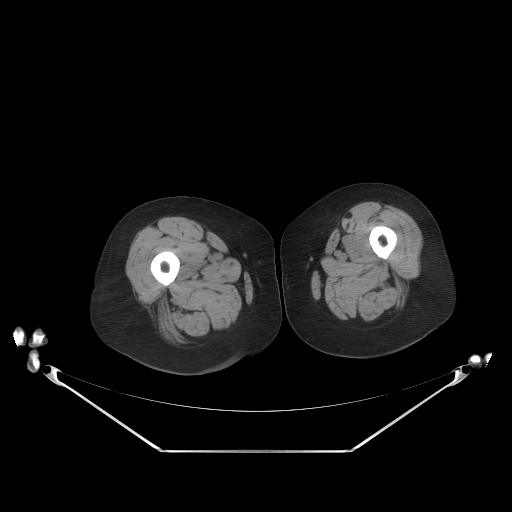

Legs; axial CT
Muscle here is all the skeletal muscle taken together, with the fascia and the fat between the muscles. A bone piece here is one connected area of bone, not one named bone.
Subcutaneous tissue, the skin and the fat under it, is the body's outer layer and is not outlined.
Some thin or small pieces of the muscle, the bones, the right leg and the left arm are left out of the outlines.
The left leg is outlined by [[357,182],[393,184],[409,191],[426,205],[440,226],[455,275],[457,288],[455,309],[443,325],[421,340],[398,352],[371,359],[347,358],[327,354],[311,347],[300,339],[288,322],[281,283],[279,246],[281,235],[286,226],[297,215],[324,195],[339,187]]. The bones appear in 4 outlined pieces: piece 1: [[164,250],[169,250],[170,251],[172,251],[178,257],[179,259],[179,261],[180,262],[180,265],[179,266],[179,270],[178,271],[178,273],[176,277],[172,282],[171,282],[168,285],[166,286],[160,283],[153,276],[150,270],[150,263],[153,257],[156,254]]; piece 2: [[377,225],[384,225],[385,226],[387,226],[391,228],[395,232],[396,234],[396,236],[397,237],[397,241],[396,242],[395,247],[386,259],[384,259],[383,258],[381,258],[379,257],[373,251],[369,243],[369,234],[370,233],[370,231],[374,226],[376,226]]; piece 3: [[16,328],[20,328],[21,329],[22,329],[24,332],[24,337],[23,338],[23,343],[22,344],[21,344],[20,345],[18,345],[17,346],[14,342],[14,341],[12,338],[12,336],[11,335],[12,335],[13,334],[13,332]]; piece 4: [[34,331],[39,331],[40,332],[42,332],[44,334],[44,337],[43,338],[43,339],[42,340],[42,342],[39,345],[34,345],[32,343],[32,334],[33,333],[33,332]]. The right leg is outlined by [[178,195],[211,199],[259,221],[273,238],[276,276],[279,287],[281,284],[280,300],[283,302],[281,325],[272,342],[259,353],[226,369],[202,375],[174,374],[138,363],[104,344],[94,332],[88,316],[93,274],[104,243],[114,225],[125,213],[139,204]]. The right arm is outlined by [[18,323],[20,323],[28,333],[32,332],[34,326],[40,324],[44,328],[48,337],[48,343],[45,347],[40,350],[38,357],[39,367],[35,372],[31,372],[26,365],[26,360],[30,349],[27,346],[17,346],[12,338],[11,335],[13,334],[14,328]]. The muscle appears in 2 outlined pieces: piece 1: [[163,216],[183,216],[193,219],[217,234],[236,255],[247,263],[261,286],[262,301],[249,316],[229,334],[201,347],[186,349],[167,343],[159,335],[146,310],[135,298],[131,284],[125,274],[125,262],[130,244],[135,234],[150,222]]; inner edge: [[164,250],[169,250],[170,251],[172,251],[178,257],[179,259],[179,261],[180,262],[180,265],[179,266],[179,270],[178,271],[178,273],[176,277],[172,282],[171,282],[168,285],[166,286],[160,283],[153,276],[150,270],[150,263],[153,257],[156,254]]; piece 2: [[363,201],[378,201],[393,205],[402,209],[414,219],[423,236],[423,246],[420,253],[421,270],[419,276],[411,281],[409,293],[400,314],[384,326],[355,330],[333,328],[313,314],[310,302],[311,273],[324,254],[327,239],[340,221],[341,217],[353,205]], around a hole outlined by [[377,225],[384,225],[385,226],[387,226],[391,228],[395,232],[396,234],[396,236],[397,237],[397,241],[396,242],[395,247],[386,259],[384,259],[383,258],[381,258],[379,257],[373,251],[369,243],[369,234],[370,233],[370,231],[374,226],[376,226]]. The left arm is outlined by [[489,353],[491,354],[485,366],[483,366],[480,368],[473,368],[472,369],[470,369],[471,368],[468,365],[466,364],[467,362],[467,360],[468,359],[468,357],[469,357],[473,354],[477,354],[479,356],[484,356],[485,357],[486,356],[486,354],[488,354]].